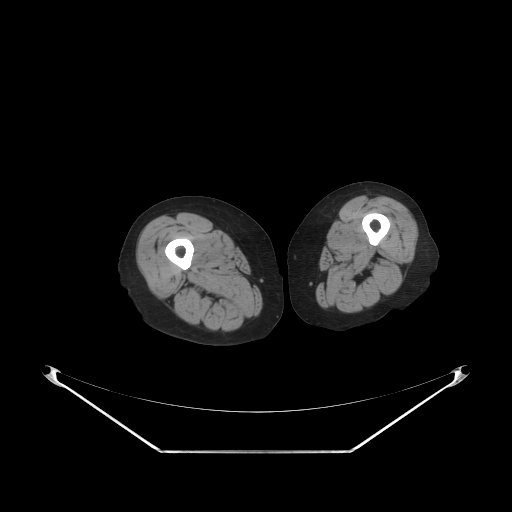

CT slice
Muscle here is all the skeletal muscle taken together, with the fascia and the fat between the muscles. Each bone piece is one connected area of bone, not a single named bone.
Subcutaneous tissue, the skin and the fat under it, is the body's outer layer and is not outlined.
The muscle appears in 2 outlined pieces: piece 1: (179, 210) (194, 211) (216, 220) (222, 220) (247, 251) (253, 263) (262, 296) (262, 309) (258, 316) (236, 331) (223, 335) (215, 335) (198, 331) (186, 324) (171, 311) (166, 309) (152, 295) (137, 268) (135, 261) (135, 248) (138, 236) (143, 227) (157, 216); inner edge: (177, 237) (184, 237) (185, 238) (188, 238) (191, 241) (194, 247) (194, 251) (193, 252) (193, 255) (192, 256) (192, 259) (191, 260) (191, 264) (190, 266) (185, 270) (183, 270) (181, 269) (178, 266) (172, 263) (166, 257) (164, 253) (164, 249) (167, 243) (169, 241); piece 2: (362, 194) (379, 194) (389, 196) (401, 202) (408, 208) (413, 215) (418, 227) (418, 239) (415, 256) (408, 267) (407, 275) (400, 288) (384, 302) (358, 314) (346, 315) (333, 313) (321, 308) (315, 299) (319, 257) (326, 239) (326, 234) (341, 206) (349, 199); inner edge: (370, 211) (374, 211) (375, 212) (378, 212) (379, 213) (384, 214) (388, 217) (390, 221) (390, 227) (389, 228) (389, 230) (387, 234) (379, 242) (379, 243) (375, 246) (369, 243) (367, 235) (363, 230) (362, 226) (361, 225) (361, 221) (362, 220) (363, 216) (366, 213). The bones appear in 2 outlined pieces: piece 1: (177, 237) (184, 237) (185, 238) (188, 238) (191, 241) (194, 247) (194, 251) (193, 252) (193, 255) (192, 256) (192, 259) (191, 260) (191, 264) (190, 266) (185, 270) (183, 270) (181, 269) (178, 266) (172, 263) (166, 257) (164, 253) (164, 249) (167, 243) (169, 241); piece 2: (370, 211) (374, 211) (375, 212) (378, 212) (379, 213) (384, 214) (388, 217) (390, 221) (390, 227) (389, 228) (389, 230) (387, 234) (379, 242) (379, 243) (375, 246) (369, 243) (367, 235) (363, 230) (362, 226) (361, 225) (361, 221) (362, 220) (363, 216) (366, 213). The left leg is outlined by (363, 180) (378, 181) (392, 185) (407, 193) (418, 204) (439, 251) (438, 266) (435, 273) (431, 276) (430, 285) (425, 293) (405, 309) (392, 310) (373, 323) (344, 331) (333, 331) (316, 327) (300, 318) (291, 305) (287, 268) (288, 244) (302, 219) (320, 199) (341, 186). The right leg is outlined by (182, 195) (209, 196) (230, 203) (253, 218) (269, 236) (273, 244) (283, 278) (284, 307) (279, 321) (264, 338) (236, 346) (208, 346) (164, 335) (151, 329) (142, 322) (126, 291) (121, 287) (117, 271) (117, 261) (123, 241) (130, 226) (144, 210) (153, 204) (170, 197).